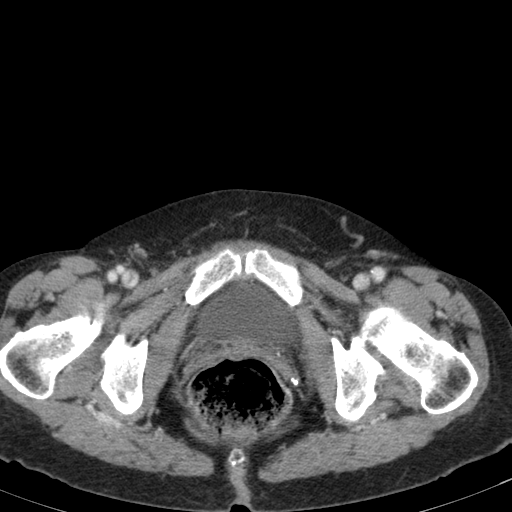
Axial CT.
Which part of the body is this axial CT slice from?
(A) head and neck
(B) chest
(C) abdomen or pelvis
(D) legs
Answer: (C) abdomen or pelvis
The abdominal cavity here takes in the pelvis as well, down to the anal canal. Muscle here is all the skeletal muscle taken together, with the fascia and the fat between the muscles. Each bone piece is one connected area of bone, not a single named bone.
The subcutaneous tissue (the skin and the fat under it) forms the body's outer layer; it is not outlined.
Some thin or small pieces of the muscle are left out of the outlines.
{"abdominal_cavity":[[[241,278],[246,280],[252,278],[266,286],[288,306],[295,316],[302,335],[298,357],[303,366],[305,388],[302,399],[288,418],[271,433],[263,437],[237,442],[200,435],[190,425],[188,408],[179,382],[176,359],[186,332],[196,315],[198,305],[226,284]]],"muscle":[{"outer":[[237,239],[323,268],[418,265],[450,275],[477,310],[490,364],[469,417],[391,461],[272,483],[257,477],[263,459],[325,427],[317,393],[300,409],[302,425],[253,447],[247,473],[236,475],[222,447],[181,425],[169,374],[152,423],[214,456],[209,476],[115,465],[52,437],[0,393],[0,373],[18,392],[49,398],[59,373],[102,333],[105,304],[94,316],[84,307],[17,330],[0,347],[13,284],[61,256],[163,260]],"holes":[[[256,247],[293,264],[301,277],[302,300],[289,309],[302,335],[298,357],[304,371],[304,393],[288,418],[263,437],[239,442],[207,437],[190,425],[177,372],[177,354],[198,309],[185,302],[184,292],[192,279],[192,270],[200,262],[225,248],[242,253]],[[381,304],[398,308],[430,335],[446,340],[467,356],[478,382],[458,407],[428,413],[420,405],[416,381],[377,353],[386,372],[377,378],[374,401],[356,421],[339,415],[334,405],[337,381],[330,337],[336,336],[348,348],[351,337],[360,331],[363,314]],[[118,332],[124,332],[126,335],[126,341],[131,345],[134,345],[144,336],[148,339],[147,358],[142,379],[143,400],[141,405],[131,414],[125,414],[117,410],[106,394],[100,388],[99,385],[99,382],[102,376],[103,366],[103,361],[100,358],[100,354]],[[235,448],[241,450],[242,453],[245,457],[245,460],[244,461],[243,461],[239,465],[238,465],[237,466],[237,467],[236,467],[235,468],[233,468],[229,464],[229,463],[228,462],[228,460],[227,459],[230,454],[230,452],[233,449],[234,449]]]}],"torso":[[[225,188],[295,192],[341,205],[491,296],[511,323],[511,443],[492,455],[411,489],[343,505],[297,511],[250,511],[239,504],[234,504],[230,511],[187,511],[143,505],[80,490],[14,460],[0,459],[0,271],[34,254],[80,246],[93,236],[166,203]]],"bones":[[[381,304],[398,308],[430,335],[446,340],[467,356],[478,382],[458,407],[428,413],[420,405],[416,381],[377,353],[386,372],[377,378],[374,401],[356,421],[339,415],[334,405],[337,381],[330,337],[336,336],[348,348],[351,337],[360,331],[363,314]],[[100,303],[104,304],[107,316],[101,333],[79,356],[58,373],[53,393],[49,397],[45,399],[30,397],[18,391],[2,375],[0,372],[0,348],[17,331],[25,330],[37,324],[48,324],[65,319],[82,312],[84,308],[91,317],[94,317],[95,308]],[[256,247],[266,249],[273,257],[293,264],[297,268],[301,277],[301,285],[304,289],[302,300],[299,304],[290,307],[266,285],[252,277],[246,279],[241,277],[226,283],[196,306],[185,302],[184,292],[192,279],[192,270],[196,265],[225,248],[242,253]],[[118,332],[124,332],[126,335],[126,341],[131,345],[134,345],[144,336],[148,339],[147,358],[142,379],[143,400],[141,405],[131,414],[125,414],[117,410],[106,394],[100,388],[99,385],[99,382],[102,376],[103,366],[103,361],[100,358],[100,354]],[[235,448],[241,450],[242,453],[245,457],[245,460],[244,461],[243,461],[239,465],[238,465],[237,466],[237,467],[236,467],[235,468],[233,468],[229,464],[229,463],[228,462],[228,460],[227,459],[230,454],[230,452],[233,449],[234,449]]]}